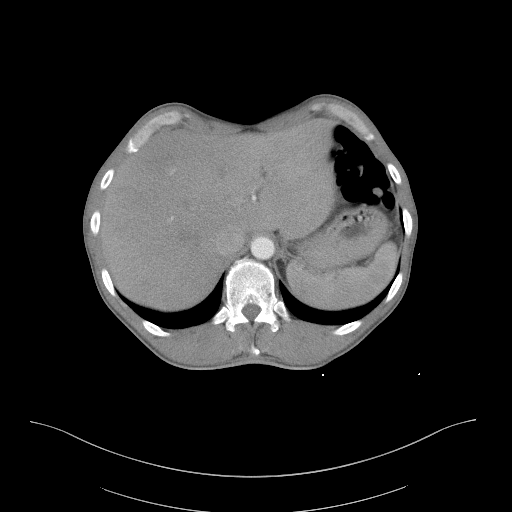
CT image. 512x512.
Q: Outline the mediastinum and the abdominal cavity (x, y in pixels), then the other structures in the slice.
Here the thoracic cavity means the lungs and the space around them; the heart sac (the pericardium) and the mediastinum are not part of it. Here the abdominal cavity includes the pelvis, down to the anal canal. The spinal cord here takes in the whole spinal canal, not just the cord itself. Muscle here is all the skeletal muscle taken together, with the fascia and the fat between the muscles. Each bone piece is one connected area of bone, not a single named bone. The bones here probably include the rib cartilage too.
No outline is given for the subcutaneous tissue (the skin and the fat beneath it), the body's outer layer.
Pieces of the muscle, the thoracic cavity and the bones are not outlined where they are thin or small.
A: {"mediastinum":[[[254,233],[270,233],[272,234],[275,238],[275,241],[276,242],[276,255],[275,256],[275,261],[273,267],[273,272],[273,271],[265,263],[262,261],[256,260],[251,257],[243,256],[240,258],[236,259],[234,261],[236,256],[244,247],[248,238]]],"abdominal_cavity":[[[310,111],[341,118],[357,130],[396,186],[404,234],[399,269],[387,287],[352,309],[308,307],[281,284],[279,293],[276,238],[254,232],[223,281],[189,309],[164,313],[118,294],[98,233],[104,190],[128,154],[160,126],[184,120],[224,134],[267,132]]],"muscle":[{"outer":[[317,98],[331,98],[332,99],[339,100],[355,108],[371,125],[389,153],[397,163],[404,176],[406,185],[408,189],[408,193],[412,204],[413,214],[414,215],[414,238],[411,245],[406,277],[397,298],[383,315],[376,320],[354,340],[340,350],[315,363],[292,364],[291,363],[287,363],[281,361],[276,357],[273,357],[271,355],[264,353],[261,356],[255,356],[254,357],[246,357],[241,354],[239,354],[233,356],[231,359],[229,360],[219,363],[204,364],[203,365],[193,365],[192,364],[187,364],[186,363],[182,363],[176,361],[164,355],[154,347],[114,308],[106,297],[97,277],[96,269],[94,265],[94,261],[90,252],[90,249],[87,241],[86,217],[87,216],[87,209],[89,204],[89,200],[91,197],[93,187],[98,176],[111,157],[141,121],[151,113],[162,108],[170,107],[171,106],[178,106],[179,107],[185,108],[206,119],[215,120],[216,121],[228,123],[233,125],[238,125],[243,127],[244,126],[252,126],[253,127],[264,122],[266,122],[271,119],[283,115],[288,112],[293,111],[308,103],[310,101]],"holes":[[[321,102],[337,104],[355,113],[374,135],[369,143],[384,163],[395,166],[401,177],[401,183],[395,185],[397,198],[400,207],[406,208],[411,216],[412,229],[409,237],[403,235],[398,270],[402,280],[394,296],[387,302],[383,298],[360,318],[362,322],[357,328],[342,335],[332,333],[337,324],[312,322],[292,313],[289,321],[278,317],[276,331],[266,322],[253,327],[237,323],[229,331],[224,322],[213,324],[208,319],[185,327],[163,327],[170,333],[168,336],[149,332],[142,324],[143,318],[106,288],[101,276],[106,264],[98,235],[90,229],[93,212],[102,209],[101,179],[128,155],[128,140],[149,120],[169,111],[180,113],[182,121],[224,134],[267,132],[285,126]],[[253,344],[259,350],[259,354],[258,355],[255,355],[254,354],[253,354],[251,352],[250,352],[250,349],[251,348],[251,346]]]}],"thoracic_cavity":[[[222,279],[223,288],[222,289],[221,304],[216,312],[209,319],[201,323],[185,327],[178,327],[177,328],[161,327],[159,325],[145,318],[143,318],[130,307],[120,296],[142,308],[164,314],[173,314],[189,310],[203,302],[212,293],[218,282]],[[281,285],[294,299],[304,306],[311,308],[316,311],[322,312],[344,312],[348,310],[359,308],[374,300],[388,286],[389,287],[385,296],[367,313],[360,318],[338,325],[337,324],[324,324],[312,322],[295,316],[289,311],[281,296],[280,290]]],"spinal_cord":[[[247,304],[255,304],[256,305],[257,305],[260,308],[260,310],[259,311],[259,312],[251,320],[250,319],[249,319],[242,312],[242,309],[244,307],[244,306],[245,305],[246,305]]],"bones":[{"outer":[[243,257],[262,262],[273,273],[276,296],[282,299],[290,314],[289,321],[278,317],[279,327],[276,331],[272,331],[266,322],[253,327],[247,323],[237,323],[234,330],[229,331],[224,322],[213,324],[210,321],[226,300],[223,290],[225,275],[234,262]],"hole":[[247,304],[255,304],[256,305],[257,305],[260,308],[260,310],[259,311],[259,312],[251,320],[250,319],[249,319],[242,312],[242,309],[244,307],[244,306],[245,305],[246,305]]},[[169,111],[177,111],[180,113],[182,115],[182,118],[180,121],[176,123],[170,123],[169,124],[160,125],[148,136],[145,141],[136,151],[131,153],[127,153],[126,152],[126,146],[127,145],[128,140],[131,137],[132,137],[149,120],[160,114],[163,114]],[[321,102],[323,102],[326,104],[328,104],[329,103],[337,104],[355,113],[374,135],[374,138],[368,141],[366,140],[364,138],[364,136],[351,124],[341,117],[339,117],[328,112],[324,107],[320,110],[313,110],[311,108],[312,105],[316,103],[320,103]],[[358,319],[360,319],[362,321],[362,322],[361,324],[354,330],[348,333],[343,334],[342,335],[337,335],[336,334],[334,334],[332,333],[332,331],[336,329],[339,326],[343,324],[345,324],[346,323],[348,323],[349,322],[351,322],[352,321],[357,320]],[[399,271],[400,271],[402,273],[402,280],[401,281],[401,284],[400,285],[398,290],[394,295],[394,296],[389,301],[388,301],[387,302],[385,302],[384,301],[384,299],[389,290],[389,288],[390,287],[390,286],[391,285],[393,280],[395,278],[397,273]],[[142,319],[145,319],[146,320],[147,320],[148,321],[149,321],[150,322],[159,326],[165,331],[167,331],[169,333],[170,333],[170,335],[169,335],[168,336],[159,336],[158,335],[155,335],[154,334],[149,332],[143,326],[143,325],[142,324]],[[403,207],[407,209],[412,219],[412,229],[411,230],[411,234],[409,237],[406,237],[405,235],[405,232],[404,231],[404,228],[403,227],[403,222],[402,221],[402,212],[401,211],[401,209]],[[102,268],[106,268],[106,269],[111,278],[111,281],[113,284],[113,286],[115,289],[115,291],[117,293],[117,294],[118,295],[117,296],[113,296],[108,291],[108,290],[106,288],[106,287],[102,280],[102,277],[101,276],[101,270],[102,269]],[[95,210],[99,210],[99,211],[100,212],[100,223],[99,224],[99,230],[98,231],[98,232],[96,235],[94,235],[92,233],[92,232],[90,229],[90,219],[91,218],[91,216],[92,215],[92,214],[93,213],[93,212]],[[386,163],[391,163],[392,164],[393,164],[395,166],[395,167],[399,172],[399,174],[401,177],[401,183],[400,184],[396,184],[395,183],[395,182],[392,179],[392,178],[391,177],[391,176],[390,175],[390,174],[388,172],[388,171],[386,168]],[[111,168],[114,169],[114,173],[113,174],[113,176],[112,177],[112,179],[111,180],[111,181],[109,183],[109,184],[107,186],[107,187],[105,189],[101,189],[100,188],[100,182],[101,181],[101,179],[102,178],[103,175],[106,172],[106,171]]],"torso":[[[318,93],[337,94],[357,104],[377,126],[408,176],[418,213],[418,235],[409,283],[401,301],[360,343],[317,369],[245,364],[188,370],[163,361],[108,309],[94,283],[82,236],[82,214],[94,175],[134,122],[158,104],[179,101],[218,117],[251,122]]]}